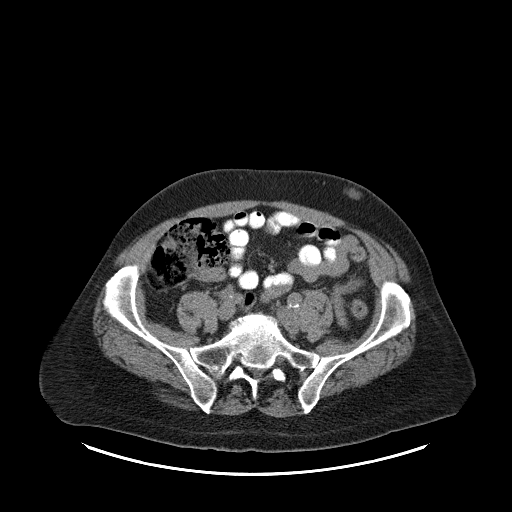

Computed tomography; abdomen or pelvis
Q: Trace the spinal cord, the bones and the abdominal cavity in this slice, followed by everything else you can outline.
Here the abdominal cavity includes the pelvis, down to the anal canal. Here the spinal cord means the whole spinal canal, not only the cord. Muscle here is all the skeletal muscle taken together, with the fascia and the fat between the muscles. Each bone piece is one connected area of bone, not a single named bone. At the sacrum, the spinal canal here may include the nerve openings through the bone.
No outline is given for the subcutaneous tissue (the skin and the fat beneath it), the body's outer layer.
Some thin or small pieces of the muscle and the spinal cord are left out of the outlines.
A: spinal cord: 252 368; 256 368; 257 369; 261 369; 262 370; 263 370; 265 372; 264 373; 264 374; 263 375; 263 376; 262 377; 261 377; 260 378; 255 378; 254 377; 253 377; 250 374; 250 373; 249 372; 249 370; 250 369; 251 369
bones: 132 264; 142 324; 176 347; 210 344; 232 320; 261 312; 296 347; 320 356; 345 353; 375 328; 385 280; 409 295; 414 318; 339 365; 306 414; 291 373; 261 381; 255 399; 244 378; 224 379; 206 413; 174 363; 103 307; 106 281 with a hole at 252 368; 256 368; 257 369; 261 369; 262 370; 263 370; 265 372; 264 373; 264 374; 263 375; 263 376; 262 377; 261 377; 260 378; 255 378; 254 377; 253 377; 250 374; 250 373; 249 372; 249 370; 250 369; 251 369
abdominal cavity: 260 205; 362 240; 375 288; 373 313; 359 337; 328 336; 304 349; 286 338; 274 316; 259 311; 232 319; 219 339; 200 344; 219 324; 217 304; 204 291; 180 297; 176 317; 183 331; 147 317; 140 276; 164 231; 184 216; 223 217, around a hole outlined by 312 290; 319 290; 325 294; 331 306; 331 310; 332 311; 332 315; 333 316; 331 324; 329 326; 327 331; 323 335; 323 336; 313 342; 310 341; 306 337; 306 335; 296 322; 296 312; 300 308; 302 301; 306 295; 306 292; 311 291
torso: 217 168; 305 169; 334 174; 368 188; 402 218; 428 259; 439 294; 475 370; 476 383; 454 415; 360 443; 287 452; 233 452; 179 447; 105 428; 70 425; 56 416; 38 387; 40 358; 50 336; 112 238; 130 215; 158 191; 187 175
muscle 1: 244 199; 283 200; 324 211; 368 232; 393 248; 408 268; 414 295; 416 314; 415 342; 407 359; 355 391; 337 399; 327 407; 313 409; 320 399; 322 388; 327 379; 339 366; 408 328; 414 321; 415 318; 415 311; 411 300; 411 297; 406 290; 398 282; 385 279; 379 287; 380 311; 378 319; 369 335; 355 347; 345 352; 320 355; 314 351; 315 347; 328 337; 343 342; 352 342; 359 338; 370 324; 375 308; 374 291; 376 288; 368 264; 370 252; 355 232; 328 222; 303 217; 287 209; 260 204; 223 216; 184 215; 174 221; 155 241; 140 275; 139 266; 132 263; 123 265; 109 277; 113 271; 113 262; 116 256; 133 239; 152 227; 166 219; 201 206
muscle 2: 104 283; 104 295; 101 302; 103 309; 113 319; 129 331; 155 347; 173 363; 187 385; 190 397; 201 410; 195 411; 182 409; 160 401; 153 395; 141 378; 120 367; 104 355; 98 343; 95 340; 95 336; 92 330; 92 316; 95 302
muscle 3: 289 374; 293 375; 298 382; 299 386; 297 388; 296 396; 303 414; 275 417; 267 415; 256 408; 237 415; 211 413; 211 408; 217 398; 218 387; 224 380; 232 381; 244 379; 250 386; 251 397; 255 400; 261 382; 270 378; 284 382
muscle 4: 139 278; 144 292; 145 314; 149 320; 183 332; 177 317; 177 306; 181 297; 190 292; 204 292; 216 304; 217 329; 214 332; 203 333; 199 337; 199 345; 192 345; 188 348; 172 345; 159 339; 143 324; 138 312; 136 289
muscle 5: 312 290; 319 290; 325 294; 331 306; 331 310; 332 311; 332 315; 333 316; 331 324; 329 326; 327 331; 323 335; 323 336; 313 342; 310 341; 306 337; 306 335; 296 322; 296 312; 300 308; 302 301; 306 295; 306 292; 311 291